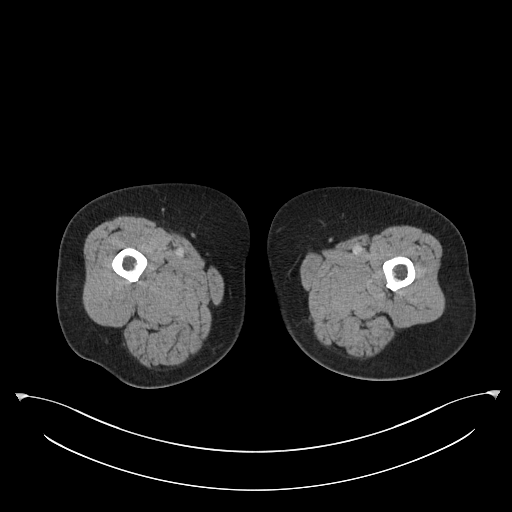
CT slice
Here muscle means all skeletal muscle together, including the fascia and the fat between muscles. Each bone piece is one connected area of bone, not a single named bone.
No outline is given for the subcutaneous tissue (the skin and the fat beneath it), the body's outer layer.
{"left_leg":[[[336,185],[377,189],[417,200],[443,214],[459,230],[467,249],[474,285],[476,320],[471,335],[461,349],[435,369],[414,377],[390,381],[350,377],[318,364],[300,349],[288,333],[280,317],[270,279],[266,254],[268,231],[274,215],[290,198],[310,189]]],"muscle":[{"outer":[[118,215],[135,215],[163,221],[166,226],[189,239],[223,276],[224,295],[222,302],[213,311],[210,332],[197,354],[183,367],[160,370],[141,365],[122,346],[120,334],[115,329],[96,324],[83,308],[81,293],[85,274],[84,240],[98,224]],"hole":[[125,247],[133,247],[135,248],[137,250],[141,252],[146,257],[147,259],[147,264],[144,270],[139,276],[137,281],[135,281],[134,282],[129,282],[125,278],[117,274],[113,270],[111,266],[111,262],[114,256],[120,250],[121,250]]},{"outer":[[401,224],[413,225],[429,232],[442,246],[438,280],[446,299],[443,314],[432,322],[402,329],[379,354],[365,360],[337,354],[321,345],[307,320],[309,314],[307,294],[300,281],[299,267],[305,254],[310,249],[329,247],[353,235],[371,233],[391,225]],"hole":[[398,255],[405,256],[409,258],[412,261],[414,265],[414,268],[415,269],[415,278],[410,284],[404,287],[402,287],[398,289],[396,291],[392,291],[389,288],[386,287],[386,279],[383,272],[382,265],[385,260],[389,259],[392,257],[397,256]]}],"bones":[[[398,255],[405,256],[409,258],[412,261],[414,265],[414,268],[415,269],[415,278],[410,284],[404,287],[402,287],[398,289],[396,291],[392,291],[389,288],[386,287],[386,279],[383,272],[382,265],[385,260],[389,259],[392,257],[397,256]],[[125,247],[133,247],[135,248],[137,250],[141,252],[146,257],[147,259],[147,264],[144,270],[139,276],[137,281],[135,281],[134,282],[129,282],[125,278],[117,274],[113,270],[111,266],[111,262],[114,256],[120,250],[121,250]]],"right_leg":[[[163,182],[188,182],[215,188],[231,197],[243,211],[250,230],[250,252],[245,273],[245,315],[235,343],[213,366],[181,383],[158,388],[140,388],[123,383],[99,365],[78,356],[67,344],[58,322],[55,305],[57,258],[67,223],[87,202],[116,189]]]}